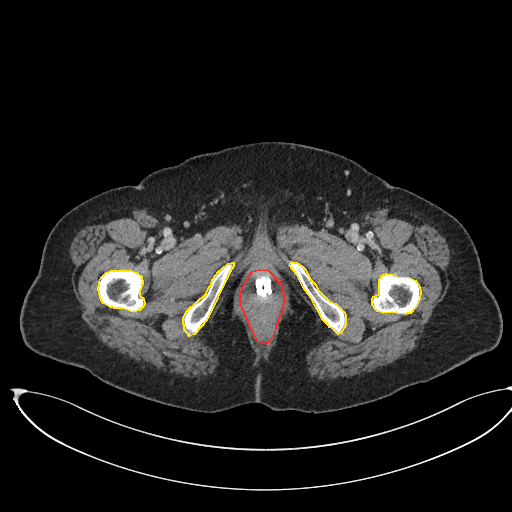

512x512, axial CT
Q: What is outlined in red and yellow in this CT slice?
A: red: abdominal cavity; yellow: bones.
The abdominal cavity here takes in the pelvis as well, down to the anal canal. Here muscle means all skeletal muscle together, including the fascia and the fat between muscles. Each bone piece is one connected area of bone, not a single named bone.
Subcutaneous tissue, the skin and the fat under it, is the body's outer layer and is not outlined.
Outlines (x, y in pixels):
abdominal cavity: 258 269; 268 270; 279 282; 282 288; 283 298; 284 299; 283 300; 282 310; 281 313; 279 314; 277 323; 275 325; 275 329; 269 341; 265 344; 257 341; 240 303; 240 293; 246 280; 248 278; 248 276; 252 271
bones 1: 110 270; 131 270; 136 272; 141 276; 142 283; 139 291; 139 295; 143 298; 144 303; 143 306; 139 310; 133 312; 122 308; 114 308; 113 307; 110 307; 103 303; 100 298; 99 291; 98 290; 99 281; 101 277; 106 272
bones 2: 386 273; 393 274; 397 276; 409 277; 415 280; 418 284; 420 291; 419 299; 415 307; 410 313; 406 313; 405 314; 397 313; 396 312; 383 313; 377 311; 374 308; 372 303; 372 298; 373 296; 375 296; 379 293; 379 279; 383 274
bones 3: 231 262; 233 262; 233 266; 229 272; 206 320; 194 334; 189 336; 184 329; 184 325; 183 324; 183 317; 184 315; 187 310; 206 293; 209 286; 211 284; 212 279; 218 271; 228 263
bones 4: 291 261; 296 262; 301 265; 304 268; 310 279; 314 283; 318 290; 329 301; 335 303; 344 312; 345 315; 345 325; 340 333; 338 334; 332 328; 329 327; 329 326; 322 319; 318 310; 316 308; 311 298; 303 287; 297 275; 289 265
torso: 264 141; 343 155; 458 219; 475 245; 484 282; 501 311; 503 331; 495 348; 431 380; 349 408; 313 413; 248 403; 211 413; 134 395; 26 346; 19 327; 21 306; 38 272; 47 236; 66 212; 106 190; 136 185; 150 173; 191 156
muscle: 377 207; 393 207; 430 221; 445 236; 450 260; 447 291; 434 308; 417 347; 374 371; 332 380; 309 375; 305 356; 325 336; 324 328; 281 270; 290 303; 270 357; 257 357; 235 310; 234 295; 241 272; 203 337; 218 354; 219 368; 199 379; 158 370; 108 348; 81 317; 71 282; 74 265; 70 244; 80 229; 113 212; 145 209; 161 221; 189 231; 237 224; 267 232; 284 223; 339 227, around holes outlined by 258 269; 268 270; 279 282; 282 288; 283 298; 284 299; 283 300; 282 310; 281 313; 279 314; 277 323; 275 325; 275 329; 269 341; 265 344; 257 341; 240 303; 240 293; 246 280; 248 278; 248 276; 252 271 and by 110 270; 131 270; 136 272; 141 276; 142 283; 139 291; 139 295; 143 298; 144 303; 143 306; 139 310; 133 312; 122 308; 114 308; 113 307; 110 307; 103 303; 100 298; 99 291; 98 290; 99 281; 101 277; 106 272 and by 386 273; 393 274; 397 276; 409 277; 415 280; 418 284; 420 291; 419 299; 415 307; 410 313; 406 313; 405 314; 397 313; 396 312; 383 313; 377 311; 374 308; 372 303; 372 298; 373 296; 375 296; 379 293; 379 279; 383 274 and by 231 262; 233 262; 233 266; 229 272; 206 320; 194 334; 189 336; 184 329; 184 325; 183 324; 183 317; 184 315; 187 310; 206 293; 209 286; 211 284; 212 279; 218 271; 228 263 and by 291 261; 296 262; 301 265; 304 268; 310 279; 314 283; 318 290; 329 301; 335 303; 344 312; 345 315; 345 325; 340 333; 338 334; 332 328; 329 327; 329 326; 322 319; 318 310; 316 308; 311 298; 303 287; 297 275; 289 265